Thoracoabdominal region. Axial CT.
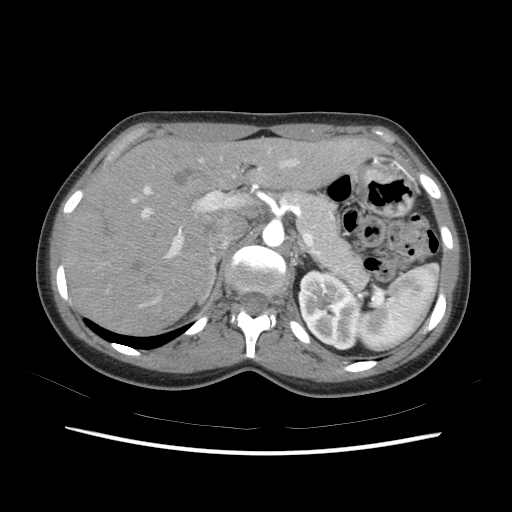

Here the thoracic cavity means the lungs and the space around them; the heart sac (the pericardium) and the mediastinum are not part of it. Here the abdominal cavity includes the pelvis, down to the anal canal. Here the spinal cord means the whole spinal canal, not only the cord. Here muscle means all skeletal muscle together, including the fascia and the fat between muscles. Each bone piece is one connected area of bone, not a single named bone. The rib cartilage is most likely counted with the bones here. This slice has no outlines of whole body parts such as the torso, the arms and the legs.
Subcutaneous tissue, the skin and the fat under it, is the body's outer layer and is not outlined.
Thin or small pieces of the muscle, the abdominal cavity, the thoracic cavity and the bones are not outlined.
The muscle is outlined by 142,121 154,121 155,122 222,122 223,123 251,124 257,126 270,126 271,125 283,124 284,123 311,122 312,123 328,123 336,125 351,125 352,124 353,125 381,125 387,127 393,131 414,151 439,181 447,196 452,216 454,220 454,223 459,237 459,242 461,248 462,285 461,286 459,300 455,311 448,325 444,329 444,331 440,337 428,349 417,357 402,364 394,369 388,370 383,373 376,374 372,376 360,378 355,380 344,381 343,382 315,382 302,378 296,378 292,376 283,375 269,370 250,359 241,361 230,366 220,367 209,370 203,370 187,374 158,372 154,370 149,370 145,368 135,366 112,358 101,352 97,351 84,343 81,340 76,338 62,321 55,307 50,287 49,268 48,267 48,247 49,246 48,239 50,236 54,217 60,203 68,191 81,175 89,163 102,148 126,128 133,124; inner edges: 142,126 148,131 118,157 150,136 227,141 266,130 303,140 372,137 415,177 419,172 429,176 441,192 438,199 427,196 437,224 446,225 453,240 452,249 441,243 438,290 446,300 442,318 430,331 427,325 374,366 346,371 344,367 354,359 331,353 313,339 302,342 291,330 289,321 299,323 300,317 293,297 294,271 288,268 286,289 271,299 276,324 258,335 254,357 249,358 242,330 229,320 237,295 225,280 224,265 203,313 208,320 201,330 139,349 141,356 117,351 58,292 56,272 70,216 63,207 76,190 85,192 104,169 103,160 112,147, then 373,129 378,129 379,130 382,130 385,132 387,132 388,133 389,133 395,139 394,142 393,143 388,143 387,142 384,141 380,137 379,137 377,135 374,134 372,132 372,130. The bones appear in 11 outlined pieces: piece 1: 248,245 260,245 277,252 283,258 287,269 286,289 280,291 271,299 276,324 270,329 263,330 258,335 255,341 253,358 245,355 246,343 242,330 229,320 237,295 232,286 225,280 226,267 232,255 238,249; inner edge: 247,292 259,292 267,296 269,298 269,304 267,308 260,314 256,316 251,316 248,313 247,313 241,307 240,307 240,305 238,302 238,300 239,299 239,296 241,294 243,294; piece 2: 142,126 146,127 148,129 148,131 145,134 134,139 133,141 132,141 125,148 125,149 124,149 116,157 115,157 114,159 112,160 112,161 108,163 104,167 103,165 103,160 112,147 126,134 129,133 132,130; piece 3: 439,291 440,293 444,294 445,295 445,299 446,300 445,302 445,311 440,321 436,325 436,326 435,326 432,329 431,329 430,331 429,331 429,328 427,325 429,322 429,320 428,319 434,308 434,306 435,305; piece 4: 419,172 423,172 425,173 435,182 435,183 437,185 437,186 439,188 441,192 441,197 440,198 438,199 436,198 434,198 430,196 427,193 427,192 421,185 418,179 418,176 417,174; piece 5: 61,263 63,265 63,270 64,271 64,275 65,276 65,283 67,288 67,295 69,298 70,304 69,304 67,301 64,300 60,296 58,292 58,289 57,288 57,284 56,283 56,272 57,271 57,268 58,266; piece 6: 292,319 293,320 298,322 305,329 305,330 309,334 309,335 311,337 311,342 310,343 305,343 304,342 302,342 299,339 298,339 296,337 296,336 293,333 293,332 291,330 291,329 289,326 289,321; piece 7: 78,189 81,189 83,190 83,196 81,198 79,202 75,206 73,210 70,213 68,214 65,214 63,213 63,207 66,201 69,198 69,197 76,190; piece 8: 359,361 378,361 378,362 374,366 373,366 368,369 365,369 364,370 362,370 361,371 357,371 356,372 351,372 350,371 346,371 344,369 344,367 346,365 347,365 348,364 350,364 353,362 358,362; piece 9: 203,315 208,315 208,320 207,321 205,326 201,330 200,330 198,332 197,332 194,334 192,334 191,335 182,335 182,334 194,322 195,322 196,321 196,320 197,320 198,319 198,318 199,318 201,316 202,316; piece 10: 439,224 444,224 446,225 449,229 451,233 451,235 452,236 452,239 453,240 453,248 452,249 448,249 444,246 442,242 442,238 440,234 440,230 439,229 439,226 438,225; piece 11: 109,342 116,342 117,343 120,343 121,344 126,345 129,347 134,348 138,350 140,352 141,354 141,356 133,356 132,355 127,355 121,352 119,352 117,351 114,348 113,348 109,344. The spinal cord is outlined by 247,292 259,292 267,296 269,298 269,304 267,308 260,314 256,316 251,316 248,313 247,313 241,307 240,307 240,305 238,302 238,300 239,299 239,296 241,294 243,294. The thoracic cavity is outlined by 85,318 111,332 126,336 135,336 136,337 156,336 170,332 184,326 186,324 192,323 181,334 162,345 148,349 137,349 120,342 108,341 104,339 90,329 84,323 83,319. The abdominal cavity is outlined by 262,130 303,140 372,137 417,178 442,250 440,286 423,331 377,358 331,353 300,323 294,271 277,251 260,244 231,255 207,308 193,322 136,336 82,319 68,295 62,244 68,218 96,176 150,136 227,141.